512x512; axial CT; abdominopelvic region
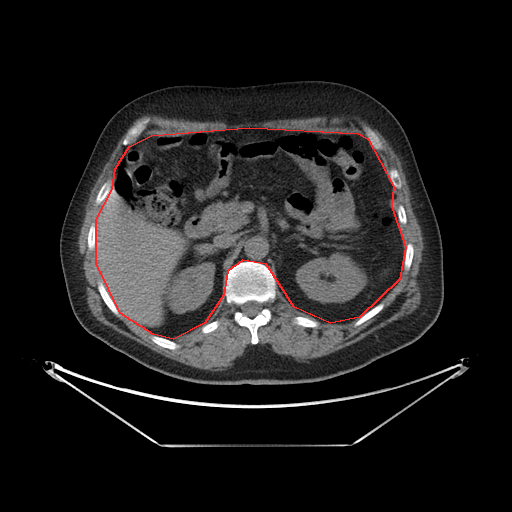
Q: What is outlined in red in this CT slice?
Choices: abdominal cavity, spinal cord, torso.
A: red: abdominal cavity.
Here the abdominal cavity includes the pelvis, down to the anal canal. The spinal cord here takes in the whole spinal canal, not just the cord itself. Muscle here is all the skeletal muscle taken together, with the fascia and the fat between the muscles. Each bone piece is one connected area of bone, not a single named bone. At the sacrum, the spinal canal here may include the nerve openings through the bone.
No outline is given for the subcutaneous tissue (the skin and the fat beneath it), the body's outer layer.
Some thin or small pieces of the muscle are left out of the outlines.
Outlined structures:
abdominal cavity: 249,127 358,133 367,138 393,186 391,206 405,247 399,279 359,317 330,323 294,307 266,264 242,260 227,271 223,295 204,323 173,339 153,334 120,313 96,263 96,219 112,189 115,168 129,146 151,135
torso: 293,80 334,81 356,87 380,101 403,127 442,240 444,297 433,325 413,343 355,371 318,382 281,385 211,385 180,380 143,366 87,332 70,306 59,239 71,197 95,142 112,115 132,99 167,86 245,86
bones 1: 242,261 254,261 266,265 273,272 276,281 275,297 265,304 271,312 271,318 266,324 258,327 258,342 256,344 251,343 249,329 239,325 234,320 234,313 237,307 233,303 226,301 223,289 224,280 230,268, around a hole outlined by 248,301 256,301 257,302 258,302 259,303 260,303 262,305 262,308 261,309 261,310 255,316 254,316 253,317 249,317 248,316 247,316 246,315 245,315 242,312 242,311 241,310 241,306 244,303 245,303
bones 2: 147,117 149,118 149,121 146,124 144,129 136,137 133,137 130,140 130,142 127,145 124,145 123,144 123,140 126,136 130,128 131,128 134,125 134,124 135,124 138,121 144,118 146,118
bones 3: 98,281 101,281 102,282 102,283 103,284 108,295 110,297 110,298 113,302 114,305 118,310 118,311 119,312 119,316 117,316 116,315 115,315 111,311 111,310 106,305 106,304 104,302 100,293 98,291
bones 4: 151,335 156,335 157,336 160,336 161,337 163,337 164,338 166,338 167,339 172,340 176,343 179,344 180,346 178,348 176,348 175,349 169,349 168,348 166,348 165,347 160,346 152,341 151,339
bones 5: 381,302 382,302 384,305 383,306 383,308 378,313 377,313 374,316 371,317 369,319 366,320 361,324 360,324 357,326 354,326 354,323 362,315 363,315 366,312 367,312 373,307 374,307 376,305 377,305
bones 6: 364,126 367,126 368,127 369,127 376,134 376,135 378,137 378,138 380,140 380,141 382,144 382,148 381,149 375,149 371,145 371,144 368,140 368,138 366,136 366,134 364,131 364,129 363,128 363,127
bones 7: 296,316 302,316 303,317 307,317 308,318 310,318 311,319 313,319 314,320 316,320 319,323 319,325 317,327 305,327 304,326 302,326 301,325 298,325 297,324 295,324 294,323 293,323 293,318
bones 8: 108,180 112,180 112,185 111,186 111,189 110,189 109,190 108,193 105,196 105,197 103,199 103,200 99,204 96,204 96,203 95,202 95,199 96,198 97,193 100,189 101,186 106,181 107,181
bones 9: 408,243 411,243 413,246 413,257 412,258 412,261 411,262 411,265 410,266 410,267 409,268 409,269 407,271 406,271 405,270 404,270 404,268 403,267 404,266 404,256 405,255 405,249 406,248 406,245
bones 10: 92,223 95,223 95,228 96,229 96,233 95,234 95,247 94,248 94,249 93,249 92,250 89,250 88,249 88,246 87,245 87,236 88,235 88,232 89,231 89,228 90,227 90,226 91,225 91,224
bones 11: 391,168 395,168 397,170 397,171 398,172 398,174 399,175 399,177 401,180 401,187 400,188 396,188 392,184 392,183 391,182 391,181 389,178 389,176 388,175 388,174 389,173 389,171
bones 12: 214,320 218,320 218,321 219,322 219,325 217,327 217,328 216,329 215,329 213,331 212,331 211,332 209,332 208,333 203,333 201,331 201,328 205,324 206,324 207,323 210,323 211,322 212,322
bones 13: 400,204 401,204 403,206 403,207 405,210 405,213 406,214 406,219 407,220 406,221 406,223 405,224 402,224 401,223 400,223 400,222 398,219 398,215 397,214 397,208 398,207 398,206
spinal cord: 248,301 256,301 257,302 258,302 259,303 260,303 262,305 262,308 261,309 261,310 255,316 254,316 253,317 249,317 248,316 247,316 246,315 245,315 242,312 242,311 241,310 241,306 244,303 245,303
muscle: 145,114 228,124 317,116 358,116 364,120 398,156 421,228 424,247 417,276 421,294 417,308 350,345 307,361 280,357 257,344 259,327 272,318 266,304 275,299 277,287 294,308 315,319 296,315 292,323 298,326 317,328 318,321 345,324 357,319 353,323 357,327 374,317 384,308 382,301 403,270 410,269 414,246 411,242 404,245 400,229 408,220 404,206 400,203 396,210 392,206 394,187 400,189 402,180 395,167 387,172 377,150 383,144 369,126 362,127 365,135 249,126 151,134 129,145 114,168 113,178 96,193 94,202 99,207 95,222 88,228 86,245 95,254 100,279 97,291 105,305 115,316 121,314 152,334 150,339 156,345 178,349 181,345 174,338 204,324 224,294 225,301 236,307 233,320 248,329 253,345 245,348 235,364 214,371 168,358 100,322 87,304 88,284 78,255 78,237 99,174 132,122; inner edges: 147,117 149,118 149,121 146,124 144,129 136,137 133,137 130,140 130,142 127,145 124,145 123,144 123,140 126,136 130,128 131,128 134,125 134,124 135,124 138,121 144,118 146,118, then 214,320 218,320 218,321 219,322 219,325 217,327 217,328 216,329 215,329 213,331 212,331 211,332 209,332 208,333 203,333 201,331 201,328 205,324 206,324 207,323 210,323 211,322 212,322